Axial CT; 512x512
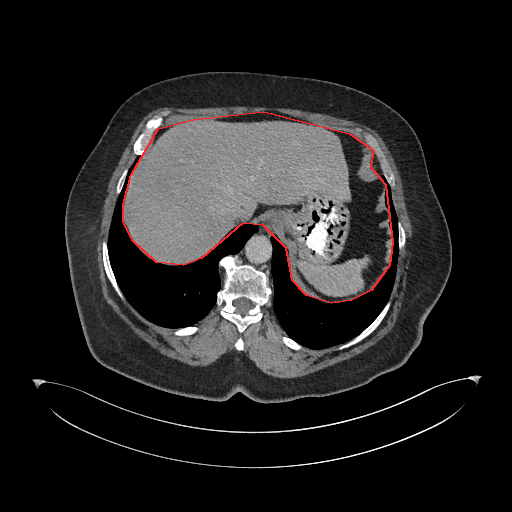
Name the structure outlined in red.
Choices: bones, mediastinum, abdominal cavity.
red: abdominal cavity.
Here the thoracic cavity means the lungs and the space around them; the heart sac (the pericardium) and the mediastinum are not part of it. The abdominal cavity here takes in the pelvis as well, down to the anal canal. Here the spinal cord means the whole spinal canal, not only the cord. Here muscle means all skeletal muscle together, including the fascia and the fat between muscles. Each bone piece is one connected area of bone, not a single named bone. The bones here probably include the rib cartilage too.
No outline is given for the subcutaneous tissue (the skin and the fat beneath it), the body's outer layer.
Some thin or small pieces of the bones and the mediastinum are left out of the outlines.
{"abdominal_cavity":[[[263,111],[349,133],[373,150],[370,166],[385,184],[392,242],[389,265],[371,290],[351,300],[331,303],[306,295],[292,280],[286,248],[263,225],[242,223],[201,258],[183,265],[156,262],[132,240],[123,221],[123,204],[131,174],[158,128],[193,119]]],"torso":[[[205,71],[250,71],[336,82],[385,102],[415,131],[449,228],[452,263],[444,289],[425,319],[419,345],[397,369],[326,396],[262,403],[239,391],[224,401],[212,401],[148,386],[92,356],[75,304],[65,243],[70,189],[112,115],[129,96],[160,80]]],"muscle":[{"outer":[[226,106],[252,106],[253,107],[281,107],[282,108],[291,108],[292,109],[299,109],[303,111],[323,113],[338,118],[343,118],[351,120],[366,125],[375,130],[381,136],[390,151],[401,179],[404,200],[406,204],[406,208],[412,228],[412,234],[409,239],[409,243],[408,244],[408,250],[410,253],[409,257],[410,260],[409,271],[408,272],[407,284],[402,302],[402,306],[394,326],[389,332],[376,343],[370,346],[361,353],[349,359],[341,361],[338,363],[325,367],[306,375],[298,377],[292,377],[291,378],[280,378],[266,374],[259,369],[244,353],[238,353],[234,351],[228,351],[219,357],[215,361],[208,365],[205,366],[192,366],[176,359],[168,357],[151,347],[146,342],[133,333],[116,314],[114,313],[111,307],[105,301],[102,293],[101,283],[99,278],[99,271],[97,267],[97,261],[96,260],[96,235],[99,230],[99,225],[101,218],[101,209],[104,203],[104,199],[107,194],[107,187],[109,180],[138,123],[150,111],[161,107],[204,108],[205,107],[225,107]],"holes":[[[167,111],[162,126],[274,111],[376,139],[394,176],[391,197],[405,243],[390,307],[369,335],[343,349],[293,349],[282,341],[272,305],[242,333],[215,305],[196,332],[176,335],[118,296],[102,256],[116,186],[137,157],[133,145],[146,122]],[[240,336],[241,336],[241,337],[242,338],[242,339],[243,340],[243,343],[244,344],[243,345],[244,346],[244,349],[243,350],[242,350],[241,351],[239,351],[238,350],[237,350],[235,348],[235,342],[237,340],[237,339]]]}],"thoracic_cavity":[[[138,156],[130,174],[121,217],[135,246],[150,260],[166,266],[192,264],[211,251],[234,228],[242,224],[258,227],[237,253],[227,254],[219,260],[223,276],[215,305],[194,325],[173,329],[143,317],[126,299],[112,269],[108,250],[112,216],[129,168]],[[384,178],[390,187],[397,217],[398,258],[389,298],[374,319],[348,341],[322,349],[305,347],[286,334],[273,309],[271,237],[275,235],[285,248],[291,280],[306,296],[328,304],[347,302],[362,296],[378,284],[390,265],[393,232],[391,213],[386,205]]],"spinal_cord":[[[242,297],[244,298],[246,298],[250,300],[253,303],[253,306],[250,309],[248,310],[247,312],[247,314],[246,314],[244,316],[242,316],[239,313],[235,311],[236,310],[236,307],[233,304],[233,301],[234,300],[238,298],[241,298]]],"mediastinum":[[[258,226],[263,226],[266,229],[271,231],[273,234],[270,237],[271,245],[272,246],[271,267],[270,268],[271,279],[265,271],[259,269],[249,263],[238,263],[237,261],[237,256],[236,254],[237,254],[244,246],[247,240],[253,234],[258,231],[259,229]],[[374,153],[376,155],[376,156],[377,157],[377,159],[379,161],[379,163],[380,164],[380,166],[381,167],[381,169],[382,170],[382,173],[383,174],[383,179],[382,179],[379,176],[379,175],[372,168],[372,167],[371,166],[371,156]]],"bones":[{"outer":[[227,255],[235,255],[238,264],[249,264],[265,272],[272,282],[272,305],[269,307],[266,305],[262,306],[261,320],[248,325],[242,333],[238,331],[233,322],[222,317],[220,308],[216,305],[217,293],[222,287],[224,276],[224,270],[220,268],[219,262]],"hole":[[242,297],[244,298],[246,298],[250,300],[253,303],[253,306],[250,309],[248,310],[247,312],[247,314],[246,314],[244,316],[242,316],[239,313],[235,311],[236,310],[236,307],[233,304],[233,301],[234,300],[238,298],[241,298]]},[[167,111],[169,112],[169,113],[163,116],[163,121],[161,125],[154,131],[151,139],[145,150],[145,152],[142,155],[139,156],[138,155],[137,156],[133,152],[133,145],[139,135],[145,129],[145,124],[146,122],[150,118],[159,114],[161,112],[166,112]],[[364,132],[367,132],[371,134],[378,142],[378,144],[381,148],[386,158],[386,160],[388,162],[388,164],[393,173],[394,176],[394,182],[395,183],[394,187],[391,188],[385,179],[380,161],[378,159],[378,157],[374,150],[365,141],[364,138]],[[389,299],[391,301],[390,307],[388,309],[386,314],[380,323],[369,335],[368,335],[365,338],[356,344],[354,344],[347,348],[344,348],[343,349],[339,349],[338,348],[340,345],[344,344],[350,340],[353,339],[364,329],[365,329],[380,313]],[[104,239],[106,239],[107,241],[107,250],[108,251],[108,256],[109,257],[109,262],[111,266],[111,269],[115,277],[117,285],[125,298],[125,300],[124,301],[123,301],[118,296],[112,287],[106,275],[106,272],[103,264],[103,257],[102,256],[102,242]],[[398,220],[399,220],[401,222],[401,223],[402,224],[402,226],[403,227],[403,228],[404,229],[404,231],[405,232],[405,243],[404,244],[404,245],[403,246],[403,247],[402,248],[402,250],[399,253],[399,246],[398,245]],[[195,325],[197,327],[198,327],[198,330],[196,332],[195,332],[193,334],[190,334],[189,335],[176,335],[175,334],[174,334],[174,330],[175,329],[177,329],[178,328],[182,328],[183,327],[187,327],[188,326],[194,326]],[[284,335],[286,335],[288,337],[289,337],[294,341],[297,342],[299,344],[300,344],[302,346],[303,346],[304,347],[304,348],[303,349],[293,349],[292,348],[291,348],[290,347],[287,346],[282,341],[282,339],[281,338],[282,337],[282,336],[283,336]],[[125,168],[128,168],[128,172],[125,177],[125,179],[124,180],[123,185],[121,188],[121,190],[120,191],[119,194],[118,195],[117,195],[116,194],[116,186],[117,185],[118,180],[119,179],[119,178],[120,177],[120,176],[121,175],[123,170]]]}